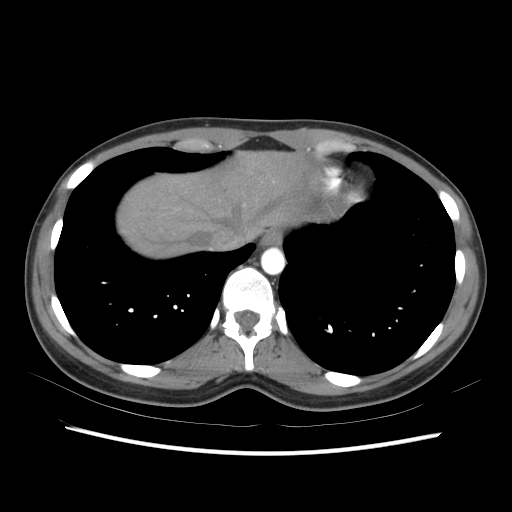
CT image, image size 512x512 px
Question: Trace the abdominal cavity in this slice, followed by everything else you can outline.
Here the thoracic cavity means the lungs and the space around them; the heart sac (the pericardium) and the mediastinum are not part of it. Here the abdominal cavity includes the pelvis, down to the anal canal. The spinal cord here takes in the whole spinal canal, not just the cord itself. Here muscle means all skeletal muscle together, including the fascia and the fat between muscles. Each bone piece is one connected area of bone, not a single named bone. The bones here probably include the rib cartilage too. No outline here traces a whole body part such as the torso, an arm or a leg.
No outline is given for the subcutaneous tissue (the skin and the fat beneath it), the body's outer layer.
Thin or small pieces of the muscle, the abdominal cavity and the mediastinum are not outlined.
Answer: The abdominal cavity is outlined by (260, 136) (317, 155) (311, 160) (307, 173) (308, 194) (324, 204) (339, 220) (310, 224) (287, 235) (268, 232) (253, 242) (227, 251) (197, 251) (164, 260) (151, 260) (134, 253) (118, 236) (114, 226) (116, 206) (135, 182) (154, 172) (180, 173) (206, 168) (239, 145). The mediastinum appears in 2 outlined pieces: piece 1: (268, 233) (281, 233) (286, 236) (282, 241) (282, 249) (287, 263) (283, 268) (279, 277) (278, 282) (278, 299) (279, 303) (276, 302) (274, 290) (270, 281) (263, 273) (256, 268) (247, 265) (237, 268) (230, 272) (248, 259) (256, 247) (254, 242) (256, 241) (256, 239); piece 2: (331, 153) (347, 153) (348, 154) (346, 158) (347, 160) (346, 161) (348, 163) (353, 160) (359, 160) (362, 162) (364, 162) (366, 164) (368, 164) (372, 168) (374, 172) (374, 180) (373, 183) (373, 181) (361, 169) (359, 169) (356, 167) (349, 167) (340, 159) (324, 155). The thoracic cavity appears in 2 outlined pieces: piece 1: (356, 151) (381, 154) (426, 182) (452, 223) (455, 246) (454, 287) (442, 319) (403, 361) (362, 376) (326, 369) (312, 360) (290, 332) (279, 299) (280, 277) (288, 263) (284, 239) (310, 225) (335, 223) (355, 204) (370, 198) (375, 172) (359, 159) (347, 161) (348, 155); piece 2: (154, 146) (228, 154) (200, 169) (154, 171) (130, 185) (113, 213) (115, 233) (124, 245) (151, 261) (197, 252) (227, 252) (250, 243) (255, 247) (228, 273) (208, 328) (194, 343) (156, 364) (118, 362) (92, 349) (73, 329) (56, 292) (55, 251) (73, 190) (100, 164). The bones appear in 11 outlined pieces: piece 1: (247, 266) (259, 271) (269, 281) (275, 302) (285, 312) (289, 330) (289, 334) (284, 335) (277, 329) (275, 321) (272, 321) (272, 334) (260, 339) (253, 348) (252, 370) (244, 368) (243, 350) (234, 339) (223, 333) (219, 324) (214, 329) (209, 329) (226, 278) (233, 271) with a hole at (245, 310) (249, 310) (252, 312) (254, 312) (256, 313) (258, 315) (258, 320) (252, 327) (251, 330) (249, 331) (245, 331) (242, 329) (240, 324) (237, 321) (236, 319) (236, 317) (235, 316) (236, 313) (238, 312) (240, 312) (241, 311) (244, 311); piece 2: (325, 140) (340, 140) (342, 142) (346, 142) (347, 143) (353, 144) (355, 145) (359, 150) (360, 150) (356, 150) (349, 153) (347, 152) (331, 152) (330, 153) (327, 153) (323, 155) (318, 155) (316, 153) (315, 153) (314, 149) (313, 148) (315, 144) (320, 141) (324, 141); piece 3: (119, 362) (121, 362) (122, 363) (128, 363) (129, 364) (138, 364) (139, 365) (155, 365) (156, 366) (158, 366) (160, 367) (161, 370) (160, 372) (159, 372) (152, 377) (140, 377) (139, 376) (136, 376) (135, 375) (128, 374) (124, 372) (120, 368) (118, 364); piece 4: (88, 160) (94, 160) (95, 161) (97, 161) (99, 163) (98, 165) (97, 165) (73, 189) (67, 189) (65, 187) (65, 184) (67, 180) (69, 178) (70, 175) (74, 171) (74, 170) (76, 169) (76, 168) (78, 166) (79, 166) (81, 164) (82, 164) (84, 162); piece 5: (185, 138) (200, 138) (201, 139) (204, 139) (205, 140) (207, 140) (208, 141) (209, 141) (213, 145) (213, 149) (212, 149) (209, 151) (188, 151) (187, 150) (179, 150) (178, 149) (176, 149) (173, 147) (174, 146) (175, 143) (176, 142) (177, 142) (182, 139) (184, 139); piece 6: (326, 370) (330, 370) (331, 371) (339, 372) (340, 373) (343, 373) (344, 374) (351, 374) (352, 375) (360, 376) (362, 377) (362, 381) (358, 384) (356, 384) (352, 386) (340, 386) (339, 385) (336, 385) (330, 382) (324, 377) (323, 374); piece 7: (53, 291) (55, 291) (57, 295) (57, 297) (59, 300) (59, 302) (61, 305) (61, 307) (72, 329) (77, 335) (76, 337) (71, 335) (68, 332) (67, 332) (62, 327) (59, 321) (57, 319) (51, 307) (51, 299) (50, 297) (51, 296) (51, 293); piece 8: (442, 320) (443, 321) (443, 328) (441, 331) (441, 333) (440, 335) (438, 337) (435, 343) (424, 354) (423, 354) (418, 358) (416, 359) (408, 359) (408, 358) (411, 355) (412, 355) (419, 348) (419, 347) (424, 342) (424, 341) (432, 332) (432, 331) (435, 328) (435, 327); piece 9: (439, 189) (442, 189) (446, 191) (453, 198) (453, 199) (455, 201) (457, 205) (458, 210) (459, 211) (459, 217) (460, 218) (459, 219) (459, 221) (457, 222) (455, 222) (454, 223) (452, 222) (446, 209) (444, 207) (442, 202) (440, 200) (437, 194) (437, 191); piece 10: (456, 248) (459, 248) (462, 250) (462, 251) (464, 254) (464, 257) (465, 258) (465, 271) (464, 272) (464, 275) (463, 276) (463, 279) (462, 280) (462, 282) (461, 283) (461, 284) (460, 284) (459, 285) (457, 285) (455, 283) (455, 250) (456, 249); piece 11: (62, 215) (63, 215) (63, 223) (62, 224) (62, 227) (61, 228) (60, 235) (59, 236) (59, 238) (58, 239) (58, 242) (55, 248) (55, 250) (52, 250) (50, 248) (50, 239) (51, 238) (51, 232) (52, 231) (52, 228) (54, 225) (54, 223) (55, 221) (60, 216). The muscle is outlined by (205, 126) (255, 131) (300, 127) (342, 131) (395, 149) (444, 182) (468, 215) (480, 276) (475, 307) (461, 335) (433, 360) (408, 374) (377, 388) (342, 395) (301, 392) (256, 372) (234, 372) (218, 383) (192, 389) (156, 388) (115, 379) (63, 351) (48, 336) (37, 317) (31, 292) (32, 263) (42, 223) (59, 186) (72, 171) (64, 184) (72, 191) (63, 214) (54, 221) (50, 232) (55, 286) (49, 297) (50, 307) (67, 333) (117, 362) (128, 375) (154, 377) (162, 370) (157, 364) (180, 354) (208, 329) (212, 331) (219, 325) (222, 333) (242, 350) (243, 368) (252, 371) (254, 348) (260, 340) (273, 334) (274, 321) (281, 334) (288, 336) (290, 333) (302, 351) (325, 369) (323, 377) (340, 387) (358, 385) (363, 376) (389, 370) (406, 359) (416, 360) (438, 340) (455, 284) (462, 284) (466, 271) (465, 254) (455, 245) (453, 227) (460, 221) (460, 211) (446, 190) (439, 188) (436, 192) (397, 161) (340, 139) (318, 141) (312, 148) (313, 153) (260, 135) (229, 151) (210, 152) (214, 145) (209, 140) (185, 137) (172, 147) (142, 147) (100, 163) (88, 159) (117, 144) (148, 134). The pericardium is outlined by (316, 156) (326, 156) (330, 158) (337, 159) (343, 162) (349, 168) (356, 168) (361, 170) (372, 181) (373, 184) (372, 189) (370, 191) (369, 198) (366, 201) (361, 201) (355, 203) (341, 218) (339, 218) (333, 214) (324, 203) (309, 194) (307, 178) (312, 164) (312, 160). The spinal cord is outlined by (245, 310) (249, 310) (252, 312) (254, 312) (256, 313) (258, 315) (258, 320) (252, 327) (251, 330) (249, 331) (245, 331) (242, 329) (240, 324) (237, 321) (236, 319) (236, 317) (235, 316) (236, 313) (238, 312) (240, 312) (241, 311) (244, 311).